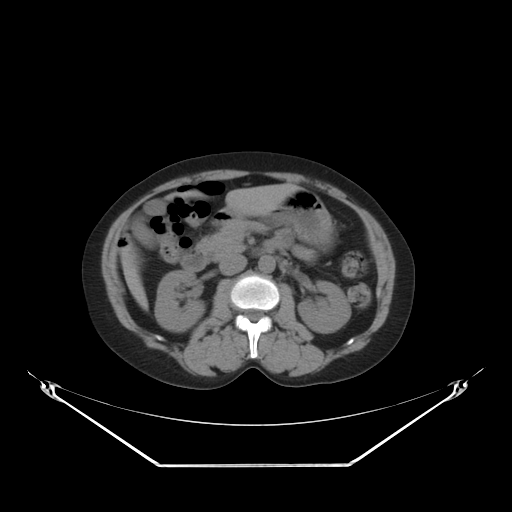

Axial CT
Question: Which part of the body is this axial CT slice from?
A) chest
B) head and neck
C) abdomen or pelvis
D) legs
Answer: C) abdomen or pelvis
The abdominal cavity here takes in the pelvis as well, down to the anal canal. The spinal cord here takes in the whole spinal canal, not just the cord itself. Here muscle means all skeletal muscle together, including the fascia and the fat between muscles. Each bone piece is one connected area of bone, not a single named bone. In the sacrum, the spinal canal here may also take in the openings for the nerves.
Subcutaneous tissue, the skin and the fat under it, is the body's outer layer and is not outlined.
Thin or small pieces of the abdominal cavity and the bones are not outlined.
{"bones":[{"outer":[[252,274],[257,274],[273,281],[279,292],[278,303],[269,311],[272,326],[269,330],[262,332],[259,335],[257,340],[257,357],[255,358],[249,357],[250,351],[247,333],[237,328],[234,324],[235,317],[239,310],[230,298],[230,291],[233,284],[239,278]],"hole":[[246,309],[257,309],[258,310],[262,310],[264,312],[264,314],[257,321],[256,321],[255,322],[254,322],[253,321],[251,321],[243,313],[243,311],[244,310],[245,310]]}],"muscle":[[[216,169],[301,174],[340,189],[376,219],[392,249],[395,277],[386,319],[363,348],[334,359],[319,371],[292,377],[283,372],[272,373],[253,359],[258,357],[260,335],[273,326],[270,311],[280,301],[280,283],[289,286],[296,319],[322,349],[345,342],[350,345],[353,337],[372,323],[380,296],[368,232],[356,211],[316,187],[259,174],[202,179],[161,191],[133,210],[116,240],[117,271],[125,303],[140,327],[155,334],[159,341],[165,338],[187,342],[192,331],[210,314],[218,284],[227,279],[233,282],[229,298],[238,310],[233,324],[246,333],[251,359],[231,372],[214,377],[195,376],[167,353],[147,347],[121,324],[108,299],[101,272],[102,248],[110,226],[156,186]]],"abdominal_cavity":[[[250,175],[316,188],[359,216],[377,271],[376,309],[366,329],[337,346],[320,347],[296,317],[290,286],[284,282],[277,285],[257,273],[234,282],[222,279],[209,314],[185,342],[153,333],[133,319],[118,271],[117,240],[134,210],[149,198],[184,184]]],"torso":[[[236,150],[289,153],[335,169],[370,193],[404,236],[415,265],[411,313],[391,352],[362,374],[334,383],[286,387],[250,368],[219,388],[184,388],[156,380],[130,366],[95,331],[86,311],[80,271],[85,242],[101,216],[122,193],[162,167],[190,157]]],"spinal_cord":[[[246,309],[257,309],[258,310],[262,310],[264,312],[264,314],[257,321],[256,321],[255,322],[254,322],[253,321],[251,321],[243,313],[243,311],[244,310],[245,310]]]}